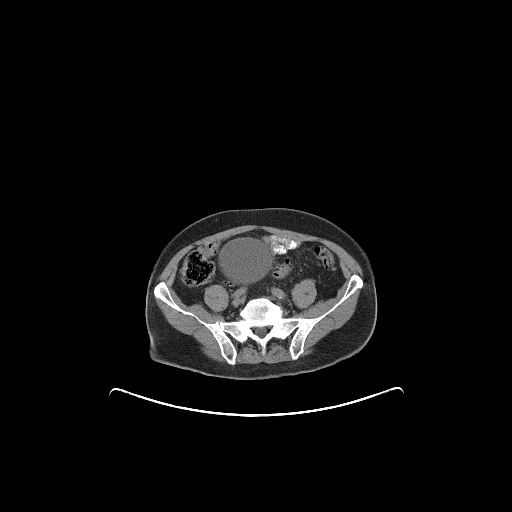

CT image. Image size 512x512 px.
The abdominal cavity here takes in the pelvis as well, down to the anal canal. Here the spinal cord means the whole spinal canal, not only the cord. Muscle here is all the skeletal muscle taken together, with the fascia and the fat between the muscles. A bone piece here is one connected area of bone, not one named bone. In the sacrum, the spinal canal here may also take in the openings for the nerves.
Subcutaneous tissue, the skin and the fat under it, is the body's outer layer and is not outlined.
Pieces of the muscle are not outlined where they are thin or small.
Outlines (x, y in pixels):
spinal cord: 268,325 270,325 271,326 271,328 270,329 270,330 269,331 269,332 268,333 266,333 265,334 265,335 262,337 260,337 258,335 257,335 251,329 251,328 254,326 256,326 257,327 261,327 262,326 267,326
abdominal cavity: 256,230 327,246 337,255 344,277 335,295 312,304 317,288 315,280 308,277 290,290 293,303 307,308 294,316 284,316 279,305 261,296 248,299 235,320 225,320 200,302 186,304 173,287 180,259 195,246 with a hole at 215,284 218,284 219,285 223,286 223,287 225,288 225,289 227,291 227,293 229,296 229,300 228,301 228,304 227,306 221,311 214,311 212,310 205,303 204,301 204,293 205,292 206,288 209,286 211,286
torso: 266,207 293,208 321,216 346,231 358,242 369,257 376,282 377,318 373,334 362,352 354,357 315,371 256,380 209,376 152,360 148,355 149,339 145,324 145,294 152,267 162,249 178,232 202,217 229,209
bones: 353,274 363,280 362,287 313,326 295,360 289,351 291,333 268,341 264,354 254,340 232,338 236,357 229,364 203,324 153,293 164,282 178,306 207,323 238,320 256,297 268,298 284,317 315,318 343,296; inner edge: 268,325 270,325 271,326 271,328 270,329 270,330 269,331 269,332 268,333 266,333 265,334 265,335 262,337 260,337 258,335 257,335 251,329 251,328 254,326 256,326 257,327 261,327 262,326 267,326
muscle 1: 250,224 287,229 330,240 349,253 363,270 366,285 360,292 354,313 341,327 332,330 322,338 310,354 300,356 304,352 307,336 314,326 364,285 364,280 357,273 353,273 347,281 342,296 324,312 315,317 295,316 308,308 298,307 292,300 291,290 296,283 308,278 314,280 316,296 311,304 313,305 322,299 333,298 345,280 338,255 322,242 301,241 256,229 232,235 226,239 198,244 188,250 177,263 172,283 174,291 186,305 200,303 210,312 221,315 224,320 213,322 203,320 192,311 178,305 164,281 155,284 157,277 172,256 183,247 217,232
muscle 2: 154,297 162,301 168,306 176,310 178,312 184,315 187,315 193,317 200,324 203,325 212,334 218,345 220,355 227,363 220,363 207,357 200,350 199,345 191,336 181,333 173,328 166,321 161,310 157,306
muscle 3: 291,334 292,335 288,345 288,351 290,358 292,360 276,363 260,362 253,364 249,363 236,364 237,349 232,339 240,343 243,343 250,339 261,347 261,354 264,355 266,352 266,346 268,342 274,338 284,340
muscle 4: 215,284 218,284 219,285 223,286 223,287 225,288 225,289 227,291 227,293 229,296 229,300 228,301 228,304 227,306 221,311 214,311 212,310 205,303 204,301 204,293 205,292 206,288 209,286 211,286